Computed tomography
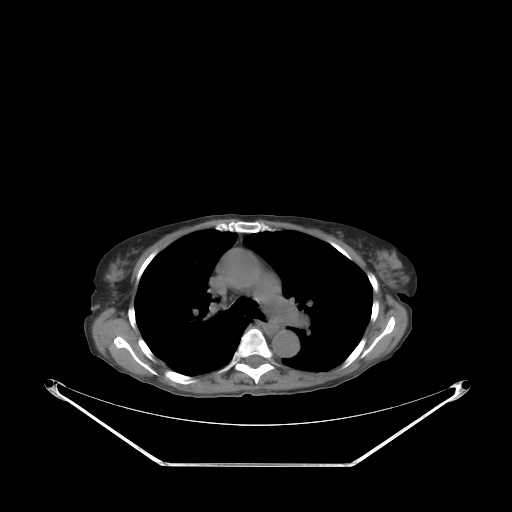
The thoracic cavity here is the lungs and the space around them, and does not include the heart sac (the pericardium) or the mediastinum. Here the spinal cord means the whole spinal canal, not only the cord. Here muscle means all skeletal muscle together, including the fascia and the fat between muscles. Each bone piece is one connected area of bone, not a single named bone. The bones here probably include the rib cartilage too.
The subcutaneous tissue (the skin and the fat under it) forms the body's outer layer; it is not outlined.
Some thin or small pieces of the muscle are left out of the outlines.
{"thoracic_cavity":[[[211,228],[220,232],[236,233],[236,238],[219,257],[211,271],[207,292],[223,308],[244,316],[249,320],[249,323],[244,328],[230,360],[224,366],[217,370],[189,375],[169,368],[164,361],[154,354],[138,328],[134,304],[141,277],[159,252],[183,236]],[[280,230],[294,230],[326,242],[352,261],[366,275],[372,288],[369,321],[362,337],[341,363],[328,370],[304,370],[285,365],[278,360],[292,358],[300,351],[300,338],[294,330],[296,318],[283,293],[280,275],[262,255],[246,245],[244,238],[253,233]]],"mediastinum":[[[237,233],[248,234],[243,238],[245,245],[262,256],[281,279],[282,293],[288,300],[295,318],[293,330],[300,342],[299,351],[292,357],[277,359],[258,327],[251,326],[244,331],[250,320],[244,315],[223,307],[208,292],[212,271],[220,257],[236,241]]],"bones":[{"outer":[[251,327],[256,327],[262,332],[269,348],[277,362],[279,363],[275,365],[273,369],[268,370],[262,374],[257,383],[255,383],[254,380],[244,372],[236,370],[234,368],[231,368],[221,374],[217,374],[216,372],[224,367],[231,360],[237,349],[242,334]],"hole":[[251,355],[258,355],[259,356],[260,356],[261,357],[262,357],[262,358],[263,359],[263,362],[262,363],[261,363],[258,366],[257,366],[256,367],[253,367],[252,366],[250,366],[246,362],[246,359],[249,356],[250,356]]},[[240,220],[242,221],[257,221],[258,222],[262,222],[271,227],[275,228],[276,230],[274,231],[265,230],[264,231],[259,231],[252,233],[234,232],[233,231],[232,232],[231,231],[220,231],[214,228],[216,224],[218,223],[228,223],[231,221],[239,221]],[[391,316],[395,320],[395,324],[393,329],[389,333],[384,335],[375,344],[372,349],[363,357],[359,356],[346,367],[340,368],[343,361],[355,348],[360,340],[363,337],[365,337],[366,342],[364,345],[364,348],[366,349],[384,329],[389,318]],[[117,336],[120,336],[122,337],[129,344],[136,356],[141,361],[142,361],[144,363],[148,365],[152,369],[156,371],[158,374],[157,375],[153,374],[139,363],[138,363],[134,359],[130,352],[126,348],[124,347],[117,347],[115,345],[113,341],[114,338]],[[167,369],[170,369],[173,371],[175,371],[178,373],[180,373],[184,375],[188,375],[189,376],[194,376],[197,379],[197,381],[193,383],[190,383],[189,384],[182,384],[181,383],[178,383],[177,382],[172,381],[170,379],[167,378],[164,375],[164,371]],[[156,249],[159,249],[159,251],[157,253],[157,254],[149,262],[149,263],[146,266],[145,269],[143,271],[140,277],[140,279],[138,282],[138,284],[136,285],[136,276],[137,275],[137,273],[141,265],[143,263],[145,259],[154,250]],[[140,337],[141,337],[143,339],[143,340],[146,343],[146,344],[148,346],[148,347],[150,349],[150,350],[155,356],[155,361],[152,361],[149,358],[148,358],[145,355],[145,354],[140,348],[140,347],[138,344],[138,339]],[[131,305],[133,305],[134,307],[134,311],[135,312],[135,321],[136,322],[136,325],[137,326],[137,329],[136,330],[135,330],[130,324],[130,322],[129,321],[129,318],[128,317],[128,313],[127,311],[128,310],[128,308],[129,306]],[[369,271],[372,272],[375,275],[375,276],[377,279],[377,282],[378,283],[378,290],[377,291],[377,292],[374,292],[373,291],[373,288],[372,287],[372,286],[370,283],[370,281],[369,280],[369,279],[368,278],[368,277],[366,274],[366,273]],[[373,300],[377,300],[378,301],[378,303],[379,304],[379,308],[378,309],[378,313],[377,314],[377,316],[376,317],[376,319],[373,322],[371,322],[370,321],[370,316],[371,315],[371,310],[372,309],[372,304],[373,303]],[[327,240],[331,240],[335,243],[336,243],[338,245],[339,245],[343,249],[344,249],[350,255],[350,256],[352,258],[352,260],[351,260],[347,257],[346,257],[337,249],[336,249],[333,246],[332,246],[329,243],[328,243],[327,242]]],"torso":[[[226,213],[299,215],[335,221],[394,244],[410,259],[417,274],[415,294],[399,295],[412,308],[412,329],[398,351],[331,388],[289,395],[214,398],[172,394],[121,373],[94,356],[87,346],[83,320],[90,313],[92,280],[104,253],[120,241],[158,226]]],"spinal_cord":[[[251,355],[258,355],[259,356],[260,356],[261,357],[262,357],[262,358],[263,359],[263,362],[262,363],[261,363],[258,366],[257,366],[256,367],[253,367],[252,366],[250,366],[246,362],[246,359],[249,356],[250,356]]],"muscle":[{"outer":[[227,218],[239,220],[218,222],[213,227],[198,229],[183,235],[160,251],[159,248],[154,249],[144,259],[136,273],[135,285],[137,288],[134,303],[129,305],[126,311],[128,321],[131,327],[135,331],[138,329],[141,335],[137,339],[137,344],[144,355],[152,362],[156,361],[156,357],[168,367],[163,371],[167,379],[178,384],[189,385],[198,381],[195,376],[213,371],[221,375],[234,369],[244,373],[257,384],[262,375],[273,370],[280,363],[278,361],[285,366],[304,371],[328,371],[340,364],[339,368],[344,369],[357,358],[363,358],[370,352],[384,336],[394,329],[396,324],[395,318],[391,315],[383,329],[365,348],[367,339],[363,336],[364,332],[369,322],[373,323],[377,319],[380,308],[379,301],[373,299],[373,292],[377,293],[379,290],[378,279],[407,312],[407,325],[398,342],[384,355],[347,375],[312,386],[277,390],[188,392],[124,370],[105,357],[94,343],[91,333],[92,323],[106,307],[114,307],[118,311],[127,309],[130,276],[144,251],[165,235],[178,229],[205,221]],"hole":[[117,336],[120,336],[122,337],[129,344],[136,356],[141,361],[142,361],[144,363],[148,365],[152,369],[156,371],[158,374],[157,375],[153,374],[139,363],[138,363],[134,359],[130,352],[126,348],[124,347],[117,347],[115,345],[113,341],[114,338]]},[[259,219],[289,222],[305,227],[315,228],[331,234],[342,240],[354,249],[366,262],[372,271],[369,270],[365,273],[353,261],[351,255],[344,248],[331,239],[327,239],[326,241],[324,241],[315,236],[294,229],[277,230],[273,226],[262,221],[256,220]]]}